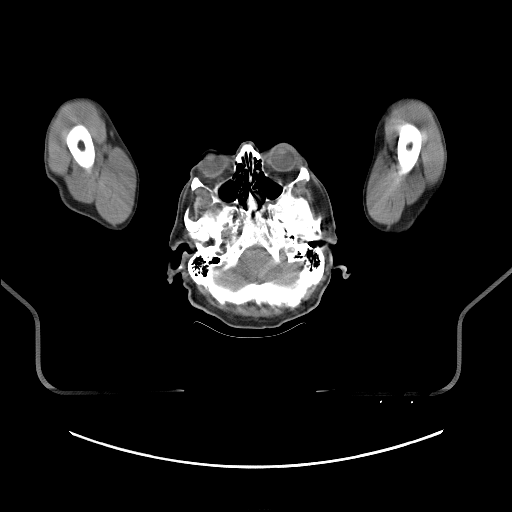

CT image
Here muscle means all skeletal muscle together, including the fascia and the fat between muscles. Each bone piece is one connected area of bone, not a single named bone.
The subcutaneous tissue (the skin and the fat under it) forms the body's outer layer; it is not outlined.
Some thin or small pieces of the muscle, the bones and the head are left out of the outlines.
The bones appear in 3 outlined pieces: piece 1: 246 142; 261 152; 270 175; 252 174; 264 197; 277 197; 277 181; 291 181; 301 165; 309 173; 292 193; 321 216; 325 264; 293 308; 220 304; 187 270; 195 248; 186 208; 196 220; 220 206; 205 188; 192 191; 191 180; 212 188; inner edges: 253 246; 263 248; 269 254; 272 263; 275 265; 281 262; 282 253; 288 264; 297 263; 301 265; 296 273; 297 277; 289 284; 278 283; 271 279; 261 282; 248 281; 235 289; 218 283; 216 278; 223 272; 234 268; 238 264; 242 254, then 238 164; 241 164; 242 168; 244 170; 249 170; 247 177; 249 187; 247 191; 247 196; 245 201; 246 207; 244 207; 239 202; 238 197; 236 197; 232 201; 225 201; 219 195; 220 187; 226 182; 234 179; 234 174; 237 171; piece 2: 405 122; 413 124; 421 131; 422 142; 421 143; 421 147; 420 148; 419 155; 414 166; 409 172; 406 174; 401 175; 401 172; 398 169; 399 166; 398 165; 398 160; 397 159; 397 141; 399 136; 397 130; 401 126; 401 124; piece 3: 77 124; 82 124; 87 128; 93 142; 93 145; 94 146; 94 151; 95 152; 95 157; 94 158; 94 162; 93 163; 93 165; 89 170; 87 170; 83 167; 80 166; 76 162; 73 156; 71 154; 66 143; 66 136; 68 132; 73 126. The head is outlined by 246 140; 260 152; 287 142; 305 157; 330 199; 333 262; 349 274; 344 278; 334 268; 315 308; 271 328; 224 323; 190 303; 179 272; 170 283; 166 274; 169 260; 175 269; 191 251; 186 243; 168 245; 191 167; 207 149; 235 154, around holes outlined by 238 164; 241 164; 242 168; 244 170; 249 170; 247 177; 249 187; 247 191; 247 196; 245 201; 246 207; 244 207; 239 202; 238 197; 236 197; 232 201; 225 201; 219 195; 220 187; 226 182; 234 179; 234 174; 237 171 and by 255 172; 257 173; 261 172; 263 174; 263 176; 264 177; 269 178; 280 186; 281 189; 277 196; 271 199; 266 196; 264 196; 261 191; 257 188; 254 188; 253 187; 253 185; 256 182; 256 180; 254 179; 253 177; 253 174. The muscle appears in 6 outlined pieces: piece 1: 77 100; 89 101; 98 108; 108 129; 112 132; 113 138; 124 151; 134 169; 135 192; 133 205; 131 212; 121 223; 114 225; 109 223; 87 203; 80 202; 74 199; 69 193; 63 179; 54 174; 49 168; 48 139; 52 123; 64 105; inner edge: 77 124; 82 124; 87 128; 93 142; 93 145; 94 146; 94 151; 95 152; 95 157; 94 158; 94 162; 93 163; 93 165; 89 170; 87 170; 83 167; 80 166; 76 162; 73 156; 71 154; 66 143; 66 136; 68 132; 73 126; piece 2: 403 101; 419 102; 431 112; 438 127; 441 138; 443 148; 443 164; 438 179; 432 185; 427 186; 425 188; 418 199; 409 206; 397 222; 391 225; 386 225; 376 222; 368 212; 366 201; 367 186; 377 154; 383 143; 385 118; 395 104, around a hole outlined by 405 122; 413 124; 421 131; 422 142; 421 143; 421 147; 420 148; 419 155; 414 166; 409 172; 406 174; 401 175; 401 172; 398 169; 399 166; 398 165; 398 160; 397 159; 397 141; 399 136; 397 130; 401 126; 401 124; piece 3: 325 265; 327 267; 325 271; 325 277; 315 292; 313 298; 304 303; 301 307; 271 318; 261 317; 258 319; 254 319; 251 317; 229 315; 211 305; 200 296; 194 283; 190 280; 189 277; 195 284; 202 286; 220 305; 228 303; 239 306; 251 302; 258 307; 262 305; 267 305; 272 308; 286 307; 293 309; 297 307; 303 299; 306 298; 309 289; 312 286; 317 285; 321 281; 325 272; piece 4: 199 187; 205 189; 209 193; 211 199; 210 204; 212 206; 215 205; 219 206; 205 209; 196 219; 193 219; 189 215; 190 212; 190 207; 189 206; 187 206; 185 208; 184 212; 184 198; 186 195; 186 191; 189 188; 192 192; piece 5: 303 180; 307 182; 310 180; 313 187; 315 188; 315 191; 317 192; 319 201; 323 207; 325 213; 324 221; 327 229; 327 233; 324 236; 321 229; 322 216; 319 213; 314 213; 308 200; 304 196; 295 195; 293 193; 294 186; 299 181; piece 6: 182 217; 182 220; 183 221; 183 224; 184 225; 184 227; 187 232; 187 234; 188 235; 189 238; 190 239; 191 239; 193 241; 193 245; 192 245; 190 243; 190 242; 189 241; 188 241; 186 239; 185 239; 183 237; 183 236; 182 235. The brain is outlined by 253 246; 263 248; 269 254; 272 263; 275 265; 281 262; 282 253; 288 264; 297 263; 301 265; 296 273; 297 277; 289 284; 278 283; 271 279; 261 282; 248 281; 235 289; 218 283; 216 278; 223 272; 234 268; 238 264; 242 254. The right arm is outlined by 79 95; 89 96; 97 100; 104 107; 130 151; 139 172; 139 195; 137 207; 129 224; 121 230; 107 229; 89 217; 77 213; 66 207; 62 203; 59 197; 57 188; 47 178; 45 174; 43 151; 44 137; 47 125; 57 107; 64 100. The left arm is outlined by 402 95; 412 95; 421 98; 433 108; 439 119; 444 133; 447 149; 447 163; 443 181; 424 211; 407 231; 403 233; 395 234; 378 230; 372 226; 366 219; 362 204; 362 188; 372 158; 374 145; 374 133; 378 120; 388 104; 394 99.